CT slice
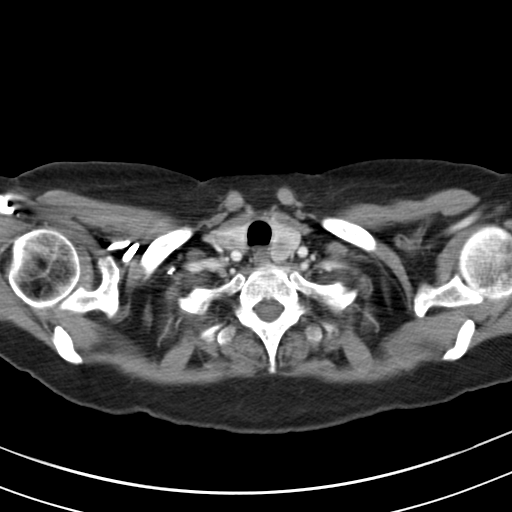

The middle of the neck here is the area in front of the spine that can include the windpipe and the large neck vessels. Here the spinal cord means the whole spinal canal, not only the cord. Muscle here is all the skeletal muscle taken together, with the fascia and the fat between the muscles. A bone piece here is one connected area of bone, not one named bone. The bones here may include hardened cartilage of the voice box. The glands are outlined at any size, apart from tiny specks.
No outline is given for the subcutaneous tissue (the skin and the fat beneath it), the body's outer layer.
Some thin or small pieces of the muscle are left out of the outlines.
Outlines (x, y in pixels):
right arm: [[29,169],[39,183],[40,186],[49,193],[65,224],[68,226],[76,236],[77,236],[90,248],[90,250],[91,251],[91,271],[92,272],[91,275],[61,320],[47,333],[27,333],[26,332],[20,332],[19,331],[0,329],[0,175],[15,176]]
thyroid glands 1: [[271,218],[273,218],[279,223],[285,224],[288,226],[291,226],[295,228],[300,233],[300,241],[297,247],[294,250],[293,253],[284,261],[279,261],[278,262],[275,261],[270,255],[270,248],[272,243],[271,242],[272,241],[272,227],[270,224],[270,220]]
thyroid glands 2: [[241,224],[246,224],[246,229],[244,232],[245,234],[244,235],[245,248],[243,250],[241,250],[241,249],[238,247],[236,247],[233,249],[228,248],[226,245],[216,236],[216,234],[219,232],[228,232],[230,231],[231,229],[235,228]]
torso: [[381,157],[437,158],[511,172],[442,248],[445,297],[510,382],[319,430],[235,434],[178,426],[144,413],[113,416],[82,407],[0,358],[0,330],[49,333],[93,273],[91,248],[66,224],[30,169],[52,161],[129,161],[205,180],[243,172],[315,173]]
bones 1: [[41,228],[61,233],[74,246],[80,266],[77,287],[81,286],[89,291],[96,289],[101,282],[98,262],[104,256],[111,258],[120,277],[117,284],[119,305],[112,318],[98,309],[74,312],[56,306],[35,308],[14,292],[7,276],[13,241],[28,231]]
bones 2: [[269,263],[287,266],[309,281],[340,281],[357,290],[355,299],[339,311],[300,293],[306,312],[282,335],[274,373],[268,371],[261,339],[233,314],[236,294],[224,293],[203,315],[186,312],[177,303],[194,287],[218,287],[237,273],[247,276],[253,268]]; inner edge: [[264,299],[266,299],[267,300],[269,300],[270,299],[273,299],[275,300],[278,303],[279,303],[282,306],[282,310],[280,312],[278,316],[276,318],[275,318],[271,321],[266,321],[262,319],[254,310],[254,307],[258,303],[259,303]]
bones 3: [[491,225],[501,227],[511,234],[511,295],[498,300],[491,300],[486,298],[480,303],[455,307],[432,306],[422,317],[418,317],[415,314],[413,307],[414,297],[419,286],[426,284],[432,287],[438,287],[448,282],[458,271],[458,258],[465,241],[476,231]]
bones 4: [[184,225],[190,226],[193,229],[193,234],[192,236],[180,246],[174,249],[160,263],[154,271],[147,278],[145,278],[144,277],[145,276],[142,272],[143,269],[140,264],[140,262],[142,256],[148,246],[151,242],[158,236],[167,232],[169,230],[172,230]]
bones 5: [[326,216],[334,216],[335,217],[343,218],[346,220],[348,220],[361,226],[364,229],[369,232],[375,239],[375,241],[376,242],[376,247],[375,249],[371,251],[366,251],[362,248],[348,241],[346,241],[342,238],[324,229],[321,226],[320,221],[322,218]]
bones 6: [[467,318],[471,319],[474,322],[474,324],[475,325],[475,329],[471,337],[471,340],[470,341],[470,343],[469,344],[469,346],[468,347],[467,351],[459,358],[453,361],[447,361],[446,360],[442,360],[441,358],[443,354],[454,344],[457,332],[461,324]]
bones 7: [[57,325],[59,325],[61,326],[70,335],[73,341],[73,344],[74,345],[74,348],[75,350],[82,358],[82,360],[83,362],[81,364],[72,364],[66,361],[57,353],[53,345],[53,343],[51,340],[51,338],[52,337],[52,335],[54,331],[54,327]]
bones 8: [[218,322],[224,322],[225,324],[232,324],[236,326],[236,331],[231,341],[223,345],[220,345],[215,339],[214,339],[210,342],[207,342],[203,339],[200,338],[199,336],[199,334],[200,332],[203,329],[215,323],[217,323]]
bones 9: [[323,321],[333,324],[336,327],[336,330],[335,331],[334,330],[330,335],[328,335],[323,329],[322,330],[323,335],[321,339],[318,342],[314,342],[313,341],[308,340],[306,338],[305,328],[309,325],[313,327],[315,326],[321,326],[322,325],[321,324]]
muscle: [[283,185],[317,207],[425,196],[456,187],[511,208],[511,233],[494,224],[476,230],[464,241],[450,279],[438,286],[422,283],[414,294],[418,318],[432,307],[511,296],[511,333],[468,350],[476,325],[467,317],[440,358],[451,362],[430,363],[374,384],[267,376],[158,386],[106,367],[72,365],[84,361],[59,324],[50,338],[54,351],[0,321],[0,194],[9,188],[60,188],[194,212],[209,209],[230,189],[265,206]] with holes at [[258,216],[295,228],[307,248],[319,252],[300,274],[304,278],[357,290],[339,311],[300,293],[306,312],[282,335],[274,373],[261,339],[233,314],[236,294],[224,293],[203,315],[177,303],[194,287],[218,287],[231,279],[223,263],[227,247],[216,234]] and at [[41,228],[61,233],[74,246],[80,266],[77,287],[81,286],[89,291],[96,289],[101,282],[98,262],[104,256],[111,258],[120,277],[117,284],[119,305],[112,318],[98,309],[74,312],[56,306],[35,308],[14,292],[7,276],[13,241],[28,231]] and at [[184,225],[190,226],[193,229],[193,234],[192,236],[180,246],[174,249],[160,263],[154,271],[147,278],[145,278],[144,277],[145,276],[142,272],[143,269],[140,264],[140,262],[142,256],[148,246],[151,242],[158,236],[167,232],[169,230],[172,230]] and at [[326,216],[334,216],[335,217],[343,218],[346,220],[348,220],[361,226],[364,229],[369,232],[375,239],[375,241],[376,242],[376,247],[375,249],[371,251],[366,251],[362,248],[348,241],[346,241],[342,238],[324,229],[321,226],[320,221],[322,218]] and at [[218,322],[224,322],[225,324],[232,324],[236,326],[236,331],[231,341],[223,345],[220,345],[215,339],[214,339],[210,342],[207,342],[203,339],[200,338],[199,336],[199,334],[200,332],[203,329],[215,323],[217,323]] and at [[323,321],[333,324],[336,327],[336,330],[335,331],[334,330],[330,335],[328,335],[323,329],[322,330],[323,335],[321,339],[318,342],[314,342],[313,341],[308,340],[306,338],[305,328],[309,325],[313,327],[315,326],[321,326],[322,325],[321,324]]
middle of the neck: [[258,216],[270,218],[269,255],[275,262],[287,260],[301,241],[309,250],[319,252],[320,255],[302,273],[290,271],[287,265],[269,262],[253,267],[247,275],[242,272],[227,275],[228,270],[223,263],[227,248],[241,251],[246,248],[247,224],[244,223]]
left arm: [[510,176],[511,176],[511,382],[509,377],[482,342],[481,339],[478,335],[474,331],[464,317],[446,297],[445,276],[444,275],[444,262],[443,261],[443,248],[446,248],[447,246],[449,245],[451,241],[472,220],[485,201],[496,187],[498,183]]
spinal cord: [[264,299],[266,299],[267,300],[269,300],[270,299],[273,299],[275,300],[278,303],[279,303],[282,306],[282,310],[280,312],[278,316],[276,318],[275,318],[271,321],[266,321],[262,319],[254,310],[254,307],[258,303],[259,303]]